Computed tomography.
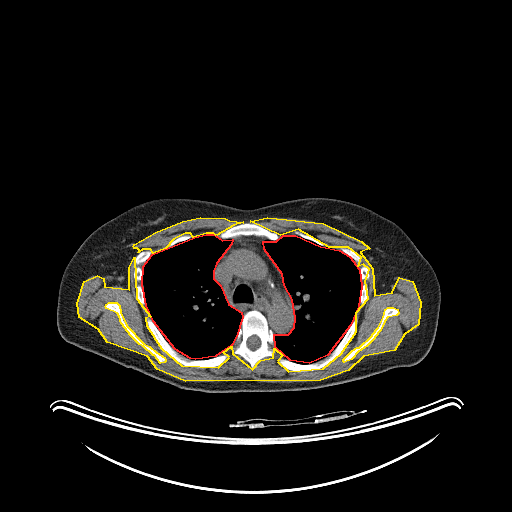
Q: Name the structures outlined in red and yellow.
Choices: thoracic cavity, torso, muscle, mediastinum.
A: red: thoracic cavity; yellow: muscle.
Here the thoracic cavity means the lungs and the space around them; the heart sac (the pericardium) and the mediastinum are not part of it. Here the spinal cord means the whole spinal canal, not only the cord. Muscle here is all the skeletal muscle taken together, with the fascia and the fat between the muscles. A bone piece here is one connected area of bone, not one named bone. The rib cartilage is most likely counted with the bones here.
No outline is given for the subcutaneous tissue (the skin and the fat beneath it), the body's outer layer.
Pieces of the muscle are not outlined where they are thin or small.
The thoracic cavity appears in 2 outlined pieces: piece 1: [[206,234],[213,234],[222,240],[232,239],[231,244],[216,263],[213,271],[213,278],[220,285],[228,304],[241,312],[242,317],[236,336],[231,345],[215,356],[195,359],[190,358],[175,349],[153,321],[146,305],[142,284],[143,266],[152,254],[194,237]]; piece 2: [[283,235],[295,235],[320,246],[339,250],[349,256],[359,269],[361,286],[358,306],[350,325],[327,355],[309,363],[290,360],[275,347],[274,334],[288,334],[294,327],[295,318],[292,299],[284,285],[282,274],[264,249],[263,241],[276,241]]. The muscle appears in 2 outlined pieces: piece 1: [[267,217],[323,223],[361,241],[369,248],[360,252],[372,268],[374,295],[392,292],[399,277],[412,281],[420,302],[418,324],[404,334],[394,350],[363,356],[348,370],[320,380],[185,381],[157,369],[147,356],[107,342],[98,329],[79,317],[77,303],[84,281],[97,275],[103,278],[104,286],[129,289],[129,267],[134,257],[136,298],[150,316],[145,318],[146,325],[161,348],[181,365],[218,367],[229,357],[223,352],[231,346],[232,353],[252,369],[260,360],[273,357],[274,348],[282,355],[277,361],[288,371],[323,368],[341,353],[356,331],[356,312],[368,298],[365,281],[369,269],[363,264],[358,266],[361,257],[348,247],[329,247],[298,229],[280,235],[250,221]] with holes at [[109,302],[116,302],[119,305],[120,312],[126,325],[143,343],[149,346],[156,352],[164,357],[165,359],[165,361],[164,362],[160,363],[154,355],[153,355],[143,346],[139,344],[131,336],[121,323],[119,316],[117,313],[106,308],[105,306],[106,304]] and at [[388,307],[393,307],[397,309],[398,313],[396,315],[387,317],[384,321],[380,330],[374,337],[374,338],[366,346],[358,351],[351,359],[344,362],[343,361],[343,359],[352,350],[357,347],[359,347],[372,335],[372,334],[378,327],[383,317],[385,309]]; piece 2: [[200,217],[225,218],[229,220],[243,222],[233,225],[216,235],[213,233],[206,233],[193,237],[190,233],[185,233],[173,239],[165,248],[153,253],[150,249],[142,249],[138,252],[139,250],[137,248],[134,248],[133,246],[134,244],[155,232],[182,221]]. The bones appear in 11 outlined pieces: piece 1: [[251,310],[257,310],[265,317],[267,321],[268,327],[273,333],[273,342],[274,343],[274,347],[273,348],[275,351],[275,354],[273,356],[266,356],[260,359],[252,368],[250,364],[245,359],[239,354],[233,353],[232,351],[232,344],[237,336],[243,315]], around a hole outlined by [[252,335],[256,335],[259,338],[259,339],[260,340],[260,344],[259,345],[259,346],[256,349],[255,349],[254,350],[252,350],[251,349],[250,349],[248,347],[248,346],[247,345],[247,340],[248,339],[248,338],[250,336],[251,336]]; piece 2: [[147,317],[150,317],[151,318],[160,333],[175,350],[190,359],[194,359],[195,360],[209,359],[223,353],[227,353],[228,354],[228,357],[221,364],[214,367],[201,368],[200,367],[185,366],[172,358],[156,341],[147,325],[146,322],[146,318]]; piece 3: [[355,317],[357,318],[358,322],[351,339],[340,353],[329,363],[323,367],[319,369],[309,370],[308,371],[294,371],[293,370],[288,370],[286,369],[278,361],[279,357],[283,357],[290,361],[299,364],[309,364],[316,362],[324,358],[327,356],[340,342]]; piece 4: [[244,222],[251,222],[252,223],[255,223],[266,229],[276,232],[279,235],[279,238],[276,240],[270,240],[269,239],[267,239],[263,236],[256,236],[255,235],[240,235],[234,238],[222,239],[218,237],[217,235],[218,235],[221,232],[233,226],[238,225]]; piece 5: [[142,250],[150,250],[152,252],[142,266],[142,280],[140,283],[142,285],[144,297],[145,298],[145,307],[144,309],[141,308],[138,301],[137,294],[136,293],[136,285],[138,283],[134,279],[134,269],[136,266],[135,263],[135,257],[136,255]]; piece 6: [[109,302],[116,302],[119,305],[120,312],[126,325],[143,343],[149,346],[156,352],[164,357],[165,359],[165,361],[164,362],[160,363],[154,355],[153,355],[143,346],[139,344],[131,336],[121,323],[119,316],[117,313],[106,308],[105,306],[106,304]]; piece 7: [[388,307],[393,307],[397,309],[398,313],[396,315],[387,317],[384,321],[380,330],[374,337],[374,338],[366,346],[358,351],[351,359],[344,362],[343,361],[343,359],[352,350],[357,347],[359,347],[372,335],[372,334],[378,327],[383,317],[385,309]]; piece 8: [[361,265],[365,266],[368,269],[368,271],[369,272],[369,276],[368,278],[364,281],[367,284],[367,298],[363,306],[361,306],[359,304],[360,290],[362,286],[362,283],[364,282],[362,280],[361,278],[361,275],[360,274],[360,269],[359,268]]; piece 9: [[295,230],[298,230],[303,233],[305,233],[306,234],[311,235],[315,238],[316,238],[318,240],[319,240],[321,242],[322,242],[325,245],[320,245],[309,239],[306,239],[303,237],[301,237],[298,235],[296,235],[295,234],[294,234],[294,231]]; piece 10: [[341,247],[344,247],[345,248],[348,248],[349,249],[350,249],[351,250],[356,252],[360,257],[360,258],[361,259],[361,262],[358,264],[357,263],[356,263],[356,262],[349,255],[348,255],[346,253],[343,252],[341,250],[340,250],[339,249]]; piece 11: [[185,234],[190,234],[192,236],[192,237],[191,238],[190,238],[189,239],[187,239],[186,240],[184,240],[183,241],[181,241],[180,242],[178,242],[169,247],[167,247],[169,245],[169,244],[173,240],[174,240],[175,239],[178,238],[180,236],[182,236]]. The mediastinum is outlined by [[240,236],[265,238],[262,241],[262,247],[276,264],[292,304],[293,327],[284,335],[274,333],[269,327],[266,317],[259,310],[251,309],[243,314],[238,309],[232,307],[227,301],[221,285],[214,278],[214,271],[220,258],[230,247],[233,239]]. The spinal cord is outlined by [[252,335],[256,335],[259,338],[259,339],[260,340],[260,344],[259,345],[259,346],[256,349],[255,349],[254,350],[252,350],[251,349],[250,349],[248,347],[248,346],[247,345],[247,340],[248,339],[248,338],[250,336],[251,336]]. The torso is outlined by [[170,197],[206,200],[242,209],[297,198],[326,197],[359,204],[393,221],[432,266],[440,285],[438,323],[430,350],[415,365],[336,385],[298,391],[209,393],[176,387],[66,342],[56,323],[58,290],[65,267],[78,247],[99,226],[127,209],[149,200]].